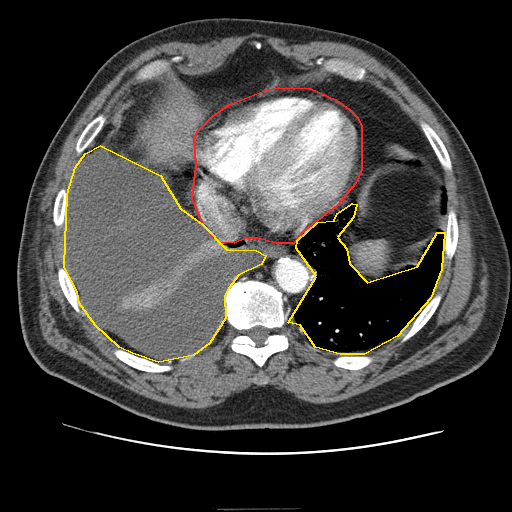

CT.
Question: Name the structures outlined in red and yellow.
Answer: red: pericardium; yellow: thoracic cavity.
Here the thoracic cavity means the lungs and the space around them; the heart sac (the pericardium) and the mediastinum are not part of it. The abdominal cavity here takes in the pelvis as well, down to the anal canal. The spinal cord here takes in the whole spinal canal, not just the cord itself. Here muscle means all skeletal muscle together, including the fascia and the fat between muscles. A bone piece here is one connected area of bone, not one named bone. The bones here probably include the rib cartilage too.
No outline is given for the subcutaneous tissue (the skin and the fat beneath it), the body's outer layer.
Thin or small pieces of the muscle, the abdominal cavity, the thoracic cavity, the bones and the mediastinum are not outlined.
{"pericardium":[[[278,87],[310,88],[335,99],[349,109],[357,117],[361,126],[361,169],[355,183],[337,205],[304,230],[293,243],[276,243],[257,238],[245,238],[234,243],[219,242],[203,225],[192,198],[196,165],[194,138],[197,131],[212,116],[229,104],[264,90]]],"thoracic_cavity":[[[100,145],[160,175],[180,208],[202,224],[226,249],[256,250],[265,255],[261,264],[238,275],[228,288],[224,295],[225,318],[209,343],[193,355],[158,362],[132,353],[119,347],[95,325],[79,303],[77,291],[64,267],[67,194],[75,167],[85,153]],[[352,203],[356,204],[353,217],[337,237],[346,248],[349,263],[367,282],[417,266],[437,232],[444,232],[441,269],[430,298],[397,336],[364,354],[340,354],[315,347],[300,325],[288,322],[316,276],[296,248],[297,240],[317,222],[334,220],[337,213]]],"mediastinum":[[[332,75],[352,82],[365,82],[387,95],[419,127],[433,151],[435,161],[397,139],[388,139],[379,159],[359,186],[355,201],[337,212],[334,219],[321,221],[356,183],[362,169],[363,157],[363,131],[358,117],[335,98],[308,87],[310,84],[323,82]],[[245,239],[284,245],[291,245],[296,241],[295,248],[311,266],[315,276],[292,313],[290,313],[291,308],[285,306],[286,298],[273,285],[255,279],[236,281],[238,276],[251,271],[266,260],[266,255],[256,249],[240,251],[226,248],[222,243],[234,244]],[[148,80],[153,80],[157,83],[157,88],[152,95],[152,99],[150,101],[148,109],[140,121],[131,143],[120,151],[112,151],[103,144],[100,144],[95,149],[88,152],[88,149],[90,148],[90,143],[102,130],[105,122],[115,111],[122,100],[140,84]]],"spinal_cord":[[[256,326],[262,326],[263,327],[264,327],[265,328],[268,329],[270,331],[270,333],[263,342],[263,344],[260,346],[258,346],[256,344],[256,343],[247,334],[246,334],[246,331],[247,331],[248,330],[251,329],[253,327],[255,327]]],"bones":[{"outer":[[239,280],[255,280],[273,286],[285,298],[285,308],[290,308],[288,320],[280,329],[280,331],[286,334],[288,338],[288,348],[273,353],[266,360],[261,368],[248,356],[235,352],[230,347],[232,339],[236,335],[237,331],[226,320],[225,295],[229,288]],"hole":[[256,326],[262,326],[263,327],[264,327],[265,328],[268,329],[270,331],[270,333],[263,342],[263,344],[260,346],[258,346],[256,344],[256,343],[247,334],[246,334],[246,331],[247,331],[248,330],[251,329],[253,327],[255,327]]},[[320,57],[323,57],[325,59],[332,58],[333,59],[346,60],[349,62],[352,62],[356,66],[363,67],[366,70],[366,73],[364,76],[363,81],[352,81],[346,79],[335,73],[332,73],[327,71],[322,71],[321,70],[322,66],[315,63],[315,61]],[[115,348],[121,348],[132,354],[134,354],[137,356],[143,357],[144,358],[155,361],[161,364],[170,364],[172,368],[169,371],[165,371],[164,372],[147,372],[146,371],[139,370],[136,368],[134,368],[130,366],[128,364],[117,358],[113,353],[113,350]],[[422,120],[426,122],[435,131],[440,139],[443,142],[447,150],[447,152],[449,155],[449,157],[452,164],[452,169],[451,171],[446,171],[444,170],[440,165],[434,153],[434,151],[430,145],[430,143],[428,141],[427,138],[420,127],[419,123],[420,121]],[[173,56],[182,56],[183,57],[183,59],[179,62],[174,62],[172,63],[170,65],[170,69],[168,71],[166,71],[157,77],[155,77],[152,79],[147,79],[143,81],[139,80],[136,78],[135,76],[138,70],[147,63],[151,62],[157,59],[169,59]],[[439,292],[441,293],[442,295],[441,299],[439,302],[438,306],[428,321],[414,335],[413,335],[404,342],[401,342],[401,339],[402,337],[409,329],[412,322],[415,319],[415,318],[423,309],[429,300],[435,294]],[[100,113],[104,114],[104,115],[106,117],[106,120],[104,122],[104,125],[102,127],[101,130],[97,134],[95,138],[91,142],[89,143],[89,146],[80,155],[78,155],[76,153],[75,147],[76,146],[77,140],[81,132],[84,129],[86,125],[98,114]],[[449,209],[453,209],[454,210],[457,217],[457,223],[458,224],[458,237],[457,238],[457,244],[456,245],[456,248],[455,249],[454,254],[450,260],[446,258],[444,258],[444,241],[445,240],[445,230],[446,229],[446,226],[447,225],[447,213]],[[59,267],[62,267],[64,268],[64,269],[67,272],[70,278],[70,280],[73,285],[73,287],[76,291],[77,297],[78,298],[79,307],[84,313],[84,314],[77,312],[71,306],[71,305],[68,302],[67,299],[65,297],[58,281],[57,270]],[[340,355],[369,355],[370,356],[372,356],[373,357],[373,360],[369,364],[368,364],[366,366],[365,366],[360,369],[346,369],[345,368],[342,368],[341,367],[337,367],[336,366],[335,366],[333,364],[333,363],[332,362],[332,360],[334,358],[335,358]],[[61,188],[65,188],[65,189],[66,190],[66,207],[65,208],[65,214],[64,215],[64,220],[63,221],[63,224],[61,226],[56,226],[53,222],[53,207],[54,206],[54,201],[55,200],[56,195],[59,191],[59,190]]],"torso":[[[214,17],[300,23],[367,39],[397,56],[449,116],[479,167],[511,260],[503,321],[493,350],[481,366],[409,403],[347,422],[304,429],[202,431],[137,416],[48,374],[34,361],[20,326],[17,257],[30,188],[53,136],[94,73],[120,48],[166,26]]],"muscle":[{"outer":[[250,34],[260,34],[276,38],[281,38],[290,44],[293,43],[302,44],[311,41],[332,41],[346,43],[359,48],[373,56],[382,64],[387,66],[395,72],[409,88],[431,109],[449,136],[452,147],[458,160],[460,171],[463,177],[473,211],[473,220],[478,233],[480,248],[488,273],[489,283],[488,284],[487,307],[483,319],[474,333],[469,338],[445,355],[418,369],[410,371],[408,373],[384,382],[364,392],[342,400],[329,403],[308,402],[296,398],[292,393],[277,389],[274,386],[267,384],[258,386],[252,385],[238,393],[234,393],[228,396],[224,401],[213,406],[204,408],[179,407],[162,403],[135,393],[101,375],[86,364],[56,350],[46,343],[41,334],[37,318],[37,313],[39,310],[38,308],[39,284],[37,278],[37,271],[35,267],[34,251],[32,245],[34,238],[34,232],[38,219],[39,212],[38,208],[41,201],[42,193],[50,178],[52,173],[52,168],[57,161],[62,145],[77,119],[90,101],[100,90],[135,57],[154,46],[172,41],[201,44],[212,40],[219,40],[225,37],[243,36]],"holes":[[[254,40],[300,69],[320,71],[315,63],[320,57],[363,67],[364,82],[438,135],[452,164],[451,171],[441,169],[446,210],[454,210],[458,224],[454,254],[442,260],[431,294],[439,292],[441,299],[410,338],[401,342],[408,325],[366,351],[373,360],[360,369],[335,366],[332,360],[340,354],[312,345],[295,322],[280,329],[288,348],[260,368],[231,349],[237,331],[225,318],[203,349],[161,362],[171,365],[169,371],[139,370],[115,356],[119,345],[62,291],[57,270],[64,267],[64,225],[53,222],[56,195],[61,188],[68,193],[71,174],[88,152],[76,153],[81,132],[100,113],[107,120],[144,82],[135,76],[140,68],[182,56],[170,69],[200,75]],[[259,373],[264,373],[265,374],[266,374],[266,375],[268,377],[268,382],[266,384],[258,384],[257,383],[255,383],[254,382],[254,377],[255,376],[256,376]]]}],"abdominal_cavity":[[[244,43],[252,44],[256,50],[269,47],[300,69],[335,74],[307,87],[270,87],[229,103],[196,131],[191,198],[200,223],[181,208],[160,174],[115,152],[123,151],[135,138],[158,88],[153,79],[175,69],[187,75],[210,72],[221,66]],[[388,140],[397,140],[434,162],[436,158],[443,176],[441,212],[446,214],[446,225],[444,231],[438,230],[427,244],[423,258],[417,265],[408,266],[395,275],[388,273],[382,279],[367,281],[350,263],[347,248],[338,234],[354,217],[358,190],[380,159]]]}